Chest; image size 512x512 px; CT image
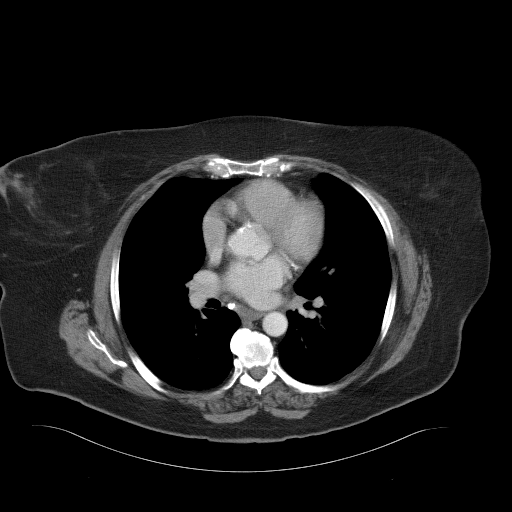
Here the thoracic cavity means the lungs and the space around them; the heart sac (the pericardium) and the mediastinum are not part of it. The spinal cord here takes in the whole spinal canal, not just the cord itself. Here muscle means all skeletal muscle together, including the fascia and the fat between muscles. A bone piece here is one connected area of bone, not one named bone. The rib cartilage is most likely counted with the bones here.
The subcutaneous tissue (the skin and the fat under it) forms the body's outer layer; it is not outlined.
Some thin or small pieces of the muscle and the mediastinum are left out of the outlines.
{"spinal_cord":[[[257,366],[260,366],[261,367],[263,367],[264,368],[264,369],[265,370],[265,373],[259,379],[255,379],[250,374],[250,373],[249,372],[249,371],[253,367],[256,367]]],"muscle":[{"outer":[[208,153],[225,156],[207,159],[202,169],[209,174],[178,175],[162,183],[134,214],[121,244],[113,250],[111,256],[109,298],[113,317],[118,325],[122,324],[133,348],[128,347],[127,354],[141,377],[155,390],[166,395],[172,393],[164,386],[165,383],[194,391],[220,386],[212,392],[216,395],[227,391],[236,382],[254,389],[260,395],[266,386],[277,379],[300,394],[320,394],[345,387],[350,379],[332,383],[359,366],[377,340],[379,344],[384,340],[397,301],[397,283],[395,279],[392,280],[388,250],[388,246],[395,247],[395,240],[384,206],[368,188],[356,181],[346,182],[323,171],[286,172],[295,166],[293,161],[277,155],[261,158],[274,153],[320,158],[336,163],[362,178],[389,201],[406,225],[416,249],[420,253],[425,250],[432,278],[432,298],[410,350],[397,364],[343,395],[322,399],[299,419],[277,417],[260,409],[238,422],[216,423],[205,419],[193,407],[135,394],[74,362],[58,333],[60,315],[70,299],[84,301],[92,298],[98,255],[116,223],[118,210],[124,200],[136,186],[162,169]],"hole":[[89,328],[90,328],[95,333],[97,337],[106,346],[106,348],[108,350],[110,354],[114,358],[122,360],[127,364],[127,366],[126,367],[121,367],[111,362],[107,357],[105,353],[102,350],[98,349],[90,342],[87,336],[87,330]]}],"thoracic_cavity":[[[178,176],[240,180],[209,205],[201,220],[205,249],[202,265],[207,283],[240,321],[239,327],[229,340],[229,349],[234,356],[232,370],[222,384],[210,389],[182,389],[162,380],[135,351],[121,321],[119,267],[124,236],[138,210],[162,184]],[[320,172],[335,176],[347,183],[370,206],[387,243],[391,281],[379,334],[367,356],[353,370],[338,380],[327,384],[312,384],[300,381],[289,374],[276,354],[278,345],[288,330],[287,308],[291,288],[318,255],[324,243],[325,207],[312,187],[312,181]]],"mediastinum":[[[205,255],[215,281],[221,290],[247,308],[259,312],[274,312],[284,304],[289,294],[286,308],[286,317],[288,322],[287,330],[277,345],[276,353],[270,338],[261,331],[240,326],[241,321],[236,312],[221,301],[211,288],[208,283],[208,277],[203,265]],[[305,171],[319,172],[318,173],[317,177],[316,178],[314,178],[311,181],[311,187],[312,189],[309,186],[305,184],[302,184],[295,181],[284,179],[280,177],[272,176],[273,175],[275,176],[280,176],[283,173],[295,173],[296,172],[304,172]]],"torso":[[[235,114],[413,125],[451,139],[470,155],[483,182],[490,271],[485,290],[465,320],[459,360],[451,377],[428,395],[364,422],[319,435],[261,443],[216,442],[157,432],[67,397],[18,386],[6,365],[0,333],[0,166],[20,155],[82,135],[177,126]]],"pericardium":[[[258,176],[271,176],[305,185],[313,190],[324,207],[324,232],[321,249],[293,282],[289,288],[289,293],[283,304],[274,311],[259,311],[247,307],[222,290],[216,281],[206,257],[206,249],[202,233],[203,216],[210,205],[217,198],[234,186],[245,180]]],"bones":[{"outer":[[240,327],[265,334],[273,345],[274,353],[282,368],[300,382],[327,385],[350,381],[340,389],[333,391],[300,393],[277,378],[266,385],[260,394],[254,388],[236,381],[227,390],[214,394],[213,392],[228,379],[233,370],[235,356],[230,349],[230,340]],"hole":[[257,366],[260,366],[261,367],[263,367],[264,368],[264,369],[265,370],[265,373],[259,379],[255,379],[250,374],[250,373],[249,372],[249,371],[253,367],[256,367]]},[[271,156],[277,156],[284,161],[293,162],[295,164],[290,170],[283,172],[280,175],[273,174],[270,176],[267,176],[233,174],[229,177],[224,178],[220,176],[212,176],[209,172],[203,169],[204,164],[209,158],[212,157],[225,157],[244,162],[251,162]],[[350,181],[356,182],[368,189],[383,206],[389,219],[389,221],[391,225],[391,228],[392,229],[392,232],[393,233],[393,239],[394,240],[394,247],[393,248],[388,245],[383,228],[371,206],[364,197],[348,183],[348,182]],[[120,245],[121,246],[120,247],[119,266],[118,267],[118,290],[119,291],[119,305],[120,306],[120,323],[118,324],[116,322],[116,320],[114,317],[114,313],[113,312],[113,309],[111,304],[111,299],[110,298],[110,270],[111,269],[111,261],[114,250]],[[128,348],[131,348],[133,349],[138,355],[143,363],[157,377],[158,377],[164,382],[163,386],[171,393],[170,394],[166,394],[160,391],[158,391],[152,386],[151,386],[142,377],[142,376],[135,368],[134,365],[130,359],[130,357],[127,351],[127,349]],[[393,280],[395,280],[396,283],[396,301],[395,302],[394,311],[387,332],[383,340],[379,343],[378,338],[380,334],[381,324],[382,323],[382,320],[383,319],[383,316],[384,315],[384,312],[385,311],[385,308],[386,307],[386,304],[389,295],[391,282]],[[89,328],[90,328],[95,333],[97,337],[106,346],[106,348],[108,350],[110,354],[114,358],[122,360],[127,364],[127,366],[126,367],[121,367],[111,362],[107,357],[105,353],[102,350],[98,349],[90,342],[87,336],[87,330]]]}